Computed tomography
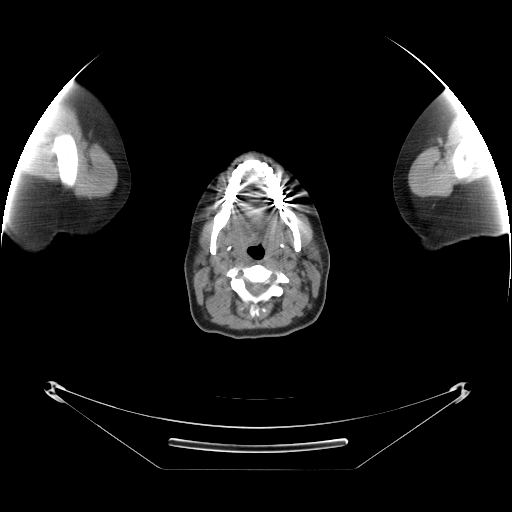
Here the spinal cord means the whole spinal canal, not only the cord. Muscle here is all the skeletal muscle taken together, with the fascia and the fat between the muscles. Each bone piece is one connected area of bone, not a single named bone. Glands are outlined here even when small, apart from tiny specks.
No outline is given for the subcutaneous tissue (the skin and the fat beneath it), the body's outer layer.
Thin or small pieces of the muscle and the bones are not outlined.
The spinal cord is outlined by (247, 281) (248, 282) (250, 282) (251, 283) (263, 283) (264, 284) (267, 284) (268, 285) (268, 286) (267, 287) (267, 288) (263, 292) (262, 292) (261, 293) (260, 293) (258, 295) (254, 295) (253, 294) (252, 294) (247, 289) (247, 288) (246, 287) (246, 282). The parotid glands appear in 2 outlined pieces: piece 1: (314, 238) (315, 238) (315, 239) (317, 241) (319, 245) (319, 247) (321, 250) (321, 257) (323, 261) (321, 262) (316, 261) (306, 256) (305, 254) (305, 252) (304, 251) (304, 249) (307, 245) (307, 244) (312, 239); piece 2: (198, 250) (201, 251) (201, 252) (202, 253) (202, 257) (200, 260) (200, 262) (198, 265) (198, 267) (197, 268) (196, 271) (193, 273) (192, 272) (192, 263) (193, 262) (193, 259) (194, 258) (194, 256) (196, 253) (196, 251) (197, 251). The right arm is outlined by (74, 76) (76, 81) (85, 84) (101, 98) (119, 129) (131, 172) (130, 194) (117, 215) (97, 234) (76, 238) (59, 235) (44, 252) (28, 255) (20, 251) (10, 241) (6, 235) (6, 230) (2, 226) (2, 217) (6, 210) (10, 183) (20, 154) (34, 126) (50, 102). The left arm is outlined by (445, 89) (450, 90) (461, 102) (485, 141) (500, 179) (505, 207) (508, 215) (508, 229) (507, 231) (502, 232) (499, 236) (496, 237) (474, 238) (438, 251) (426, 252) (418, 247) (418, 237) (404, 222) (398, 213) (392, 193) (392, 176) (400, 148) (414, 121) (424, 108). The muscle appears in 3 outlined pieces: piece 1: (248, 155) (256, 155) (265, 158) (270, 164) (275, 165) (278, 170) (281, 170) (295, 188) (298, 188) (298, 192) (305, 201) (303, 203) (310, 212) (309, 216) (313, 222) (315, 236) (304, 247) (304, 254) (306, 257) (316, 262) (323, 262) (318, 296) (313, 307) (305, 316) (285, 327) (249, 330) (229, 329) (204, 319) (196, 301) (192, 278) (203, 257) (202, 251) (199, 249) (197, 250) (198, 228) (200, 224) (198, 216) (208, 204) (219, 179) (240, 158), around holes outlined by (248, 157) (266, 162) (280, 178) (288, 201) (293, 205) (291, 208) (302, 223) (299, 251) (295, 251) (293, 247) (292, 231) (269, 197) (263, 178) (248, 173) (242, 178) (229, 218) (217, 235) (216, 252) (214, 255) (210, 253) (212, 219) (220, 208) (228, 178) (233, 169) and by (254, 264) (263, 265) (274, 271) (279, 270) (285, 274) (289, 281) (280, 285) (283, 290) (281, 295) (272, 296) (267, 301) (259, 304) (265, 308) (265, 311) (260, 311) (258, 315) (251, 316) (250, 305) (244, 302) (231, 288) (231, 279) (226, 275) (226, 272) (234, 266) and by (254, 246) (261, 246) (261, 247) (262, 248) (263, 248) (263, 255) (261, 257) (259, 257) (258, 258) (257, 258) (256, 257) (253, 257) (248, 252) (248, 248) (249, 248) (250, 247) (253, 247); piece 2: (54, 98) (65, 105) (75, 108) (79, 112) (84, 122) (100, 138) (104, 147) (113, 161) (115, 173) (117, 177) (117, 183) (115, 188) (111, 192) (99, 199) (80, 199) (76, 195) (59, 190) (45, 182) (27, 175) (22, 175) (14, 172) (18, 159) (28, 137) (39, 118), around a hole outlined by (63, 134) (69, 135) (70, 137) (74, 138) (77, 144) (77, 149) (78, 150) (79, 160) (80, 161) (80, 169) (78, 173) (76, 183) (73, 186) (68, 186) (62, 183) (60, 183) (60, 179) (59, 178) (59, 167) (54, 152) (54, 145) (53, 144) (55, 139) (60, 135); piece 3: (463, 106) (475, 123) (483, 137) (483, 139) (485, 141) (498, 173) (476, 180) (473, 180) (462, 188) (459, 189) (458, 191) (456, 191) (449, 196) (419, 196) (417, 194) (415, 194) (408, 186) (407, 182) (408, 170) (423, 150) (443, 128) (446, 126) (448, 122) with a hole at (465, 136) (472, 137) (474, 138) (476, 141) (476, 145) (477, 146) (477, 148) (476, 149) (476, 162) (475, 163) (475, 166) (472, 171) (469, 172) (462, 178) (457, 178) (456, 176) (454, 175) (454, 173) (453, 172) (453, 153) (454, 152) (455, 147) (459, 141). The bones appear in 4 outlined pieces: piece 1: (248, 157) (266, 162) (280, 178) (288, 201) (293, 205) (291, 208) (302, 223) (299, 251) (295, 251) (293, 247) (292, 231) (269, 197) (263, 178) (248, 173) (242, 178) (229, 218) (217, 235) (216, 252) (214, 255) (210, 253) (212, 219) (220, 208) (228, 178) (233, 169); piece 2: (254, 264) (263, 265) (274, 271) (279, 270) (285, 274) (289, 281) (280, 285) (283, 290) (281, 295) (272, 296) (267, 301) (259, 304) (265, 308) (265, 311) (260, 311) (258, 315) (251, 316) (250, 305) (244, 302) (231, 288) (231, 279) (226, 275) (226, 272) (234, 266) with a hole at (247, 281) (248, 282) (250, 282) (251, 283) (263, 283) (264, 284) (267, 284) (268, 285) (268, 286) (267, 287) (267, 288) (263, 292) (262, 292) (261, 293) (260, 293) (258, 295) (254, 295) (253, 294) (252, 294) (247, 289) (247, 288) (246, 287) (246, 282); piece 3: (63, 134) (69, 135) (70, 137) (74, 138) (77, 144) (77, 149) (78, 150) (79, 160) (80, 161) (80, 169) (78, 173) (76, 183) (73, 186) (68, 186) (62, 183) (60, 183) (60, 179) (59, 178) (59, 167) (54, 152) (54, 145) (53, 144) (55, 139) (60, 135); piece 4: (465, 136) (472, 137) (474, 138) (476, 141) (476, 145) (477, 146) (477, 148) (476, 149) (476, 162) (475, 163) (475, 166) (472, 171) (469, 172) (462, 178) (457, 178) (456, 176) (454, 175) (454, 173) (453, 172) (453, 153) (454, 152) (455, 147) (459, 141). The head and neck is outlined by (248, 150) (257, 150) (268, 154) (298, 179) (300, 185) (310, 195) (319, 214) (330, 254) (326, 297) (318, 318) (309, 326) (285, 336) (234, 339) (217, 333) (205, 332) (196, 325) (189, 309) (184, 276) (184, 257) (188, 244) (191, 219) (196, 204) (216, 174) (238, 154), around a hole outlined by (254, 246) (261, 246) (261, 247) (262, 248) (263, 248) (263, 255) (261, 257) (259, 257) (258, 258) (257, 258) (256, 257) (253, 257) (248, 252) (248, 248) (249, 248) (250, 247) (253, 247).